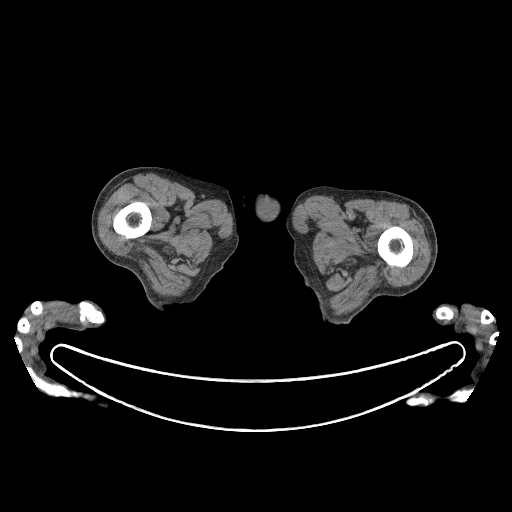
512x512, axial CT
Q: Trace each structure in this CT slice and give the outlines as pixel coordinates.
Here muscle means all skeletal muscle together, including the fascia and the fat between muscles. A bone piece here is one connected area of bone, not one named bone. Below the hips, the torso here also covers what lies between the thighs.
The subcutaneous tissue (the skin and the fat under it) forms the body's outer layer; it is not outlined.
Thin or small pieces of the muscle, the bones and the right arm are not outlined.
A: torso: (261, 191) (267, 192) (275, 196) (281, 202) (281, 211) (279, 215) (274, 220) (270, 222) (268, 222) (267, 223) (261, 222) (257, 219) (255, 215) (255, 213) (254, 212) (254, 208) (253, 207) (253, 199) (256, 193) (257, 192) (260, 192)
right leg: (138, 166) (169, 168) (221, 185) (229, 191) (234, 206) (239, 235) (235, 251) (222, 269) (211, 278) (204, 290) (192, 302) (169, 305) (167, 311) (160, 311) (149, 302) (140, 281) (131, 271) (112, 263) (101, 253) (91, 233) (90, 221) (93, 206) (103, 186) (117, 173)
muscle 1: (312, 195) (369, 198) (374, 200) (384, 199) (407, 204) (422, 220) (428, 232) (431, 255) (423, 274) (409, 285) (391, 286) (376, 290) (347, 313) (341, 315) (333, 314) (329, 309) (325, 293) (318, 286) (318, 272) (306, 242) (292, 224) (292, 215) (296, 206) (303, 199), around a hole outlined by (393, 225) (396, 225) (403, 228) (410, 235) (412, 239) (412, 243) (413, 244) (413, 254) (412, 255) (412, 258) (411, 260) (405, 266) (403, 267) (399, 267) (398, 266) (391, 266) (389, 265) (379, 255) (378, 251) (377, 250) (377, 241) (380, 234) (385, 229)
muscle 2: (148, 172) (152, 172) (178, 182) (201, 194) (224, 200) (232, 216) (232, 236) (228, 240) (224, 241) (217, 249) (204, 276) (184, 297) (162, 298) (157, 295) (138, 264) (127, 258) (117, 256) (109, 251) (102, 243) (98, 235) (98, 213) (109, 190) (127, 177) (138, 173); inner edge: (133, 201) (142, 201) (143, 202) (145, 202) (147, 204) (148, 207) (150, 209) (151, 216) (152, 217) (151, 219) (151, 225) (149, 228) (149, 230) (143, 235) (136, 237) (135, 238) (126, 238) (123, 235) (117, 233) (114, 230) (113, 228) (113, 218) (115, 214) (121, 208)
muscle 3: (52, 302) (62, 303) (68, 306) (77, 306) (78, 319) (81, 323) (58, 321) (44, 329) (35, 343) (31, 357) (31, 366) (25, 365) (21, 357) (23, 342) (18, 334) (27, 334) (30, 331) (31, 325) (26, 315) (29, 309) (33, 315) (38, 316) (43, 311) (42, 303)
muscle 4: (466, 307) (480, 310) (479, 321) (481, 324) (495, 323) (496, 329) (488, 338) (488, 343) (493, 345) (494, 348) (483, 370) (481, 369) (481, 363) (484, 351) (477, 348) (477, 338) (462, 325) (458, 318) (452, 319) (455, 316) (452, 308) (461, 316) (463, 309)
left leg: (315, 186) (386, 190) (416, 201) (431, 218) (437, 237) (437, 257) (435, 265) (427, 279) (416, 290) (403, 296) (377, 296) (347, 324) (336, 325) (323, 322) (318, 300) (314, 292) (304, 283) (302, 276) (293, 261) (293, 241) (285, 224) (287, 213) (296, 197) (301, 192)
bones 1: (393, 225) (396, 225) (403, 228) (410, 235) (412, 239) (412, 243) (413, 244) (413, 254) (412, 255) (412, 258) (411, 260) (405, 266) (403, 267) (399, 267) (398, 266) (391, 266) (389, 265) (379, 255) (378, 251) (377, 250) (377, 241) (380, 234) (385, 229)
bones 2: (133, 201) (142, 201) (143, 202) (145, 202) (147, 204) (148, 207) (150, 209) (151, 216) (152, 217) (151, 219) (151, 225) (149, 228) (149, 230) (143, 235) (136, 237) (135, 238) (126, 238) (123, 235) (117, 233) (114, 230) (113, 228) (113, 218) (115, 214) (121, 208)
bones 3: (26, 366) (30, 366) (40, 377) (46, 381) (50, 383) (57, 383) (58, 384) (60, 384) (64, 386) (70, 392) (72, 391) (74, 393) (76, 393) (77, 395) (72, 397) (62, 397) (61, 396) (52, 396) (51, 395) (49, 395) (44, 391) (42, 391) (34, 383)
bones 4: (81, 301) (85, 301) (86, 302) (89, 302) (93, 304) (102, 313) (102, 314) (104, 316) (104, 318) (105, 319) (104, 321) (101, 323) (92, 323) (90, 321) (86, 321) (84, 323) (82, 323) (79, 319) (79, 307) (78, 306) (78, 304) (79, 302)
bones 5: (441, 306) (449, 306) (452, 309) (452, 310) (453, 311) (453, 313) (454, 314) (454, 316) (453, 317) (453, 318) (452, 318) (449, 320) (447, 320) (446, 319) (438, 319) (436, 317) (436, 315) (435, 314) (435, 313) (436, 312) (436, 310) (437, 309) (437, 308) (438, 308)
bones 6: (473, 387) (473, 389) (472, 390) (472, 391) (471, 392) (471, 393) (468, 396) (468, 397) (464, 401) (454, 401) (453, 400) (452, 400) (451, 399) (450, 399) (450, 398) (449, 397) (454, 392) (455, 392) (457, 390) (460, 390) (461, 389) (469, 389) (470, 388) (472, 388)
bones 7: (23, 316) (25, 316) (27, 318) (27, 319) (28, 320) (28, 321) (29, 322) (29, 324) (30, 325) (30, 326) (29, 327) (29, 331) (27, 333) (21, 333) (20, 332) (19, 332) (18, 331) (18, 330) (17, 329) (17, 323) (18, 322) (18, 320) (21, 317) (22, 317)
bones 8: (484, 309) (486, 309) (487, 310) (488, 310) (492, 314) (492, 315) (494, 318) (494, 319) (493, 320) (493, 321) (492, 321) (490, 323) (488, 323) (487, 324) (483, 324) (482, 323) (481, 323) (481, 322) (480, 321) (480, 317) (481, 316) (481, 311)
bones 9: (419, 397) (423, 397) (424, 398) (428, 398) (429, 399) (432, 399) (433, 400) (433, 401) (430, 403) (428, 403) (427, 404) (425, 404) (424, 405) (410, 405) (407, 403) (407, 400) (408, 400) (409, 401) (411, 401) (412, 400) (413, 400) (416, 398) (418, 398)
bones 10: (34, 301) (39, 301) (40, 302) (41, 302) (41, 303) (42, 304) (42, 311) (41, 312) (41, 313) (40, 314) (39, 314) (38, 315) (35, 315) (34, 314) (33, 314) (32, 313) (32, 312) (31, 311) (31, 310) (30, 309) (30, 305)
right arm: (52, 299) (70, 302) (89, 299) (96, 302) (105, 313) (106, 324) (103, 328) (83, 331) (50, 329) (39, 345) (39, 353) (47, 367) (45, 373) (70, 392) (76, 393) (77, 395) (72, 397) (49, 395) (34, 383) (23, 363) (14, 337) (18, 320) (26, 306) (34, 301)
left arm 1: (442, 302) (457, 304) (469, 302) (483, 306) (495, 317) (497, 322) (498, 334) (495, 337) (490, 359) (464, 401) (454, 401) (449, 397) (464, 385) (472, 382) (470, 372) (478, 353) (474, 346) (474, 339) (470, 334) (455, 333) (450, 325) (440, 325) (433, 319) (432, 311)
left arm 2: (415, 393) (426, 393) (427, 394) (428, 393) (432, 393) (430, 394) (431, 395) (434, 395) (436, 396) (437, 398) (436, 399) (434, 399) (432, 402) (430, 403) (428, 403) (427, 404) (425, 404) (424, 405) (410, 405) (407, 403) (407, 400) (410, 396) (413, 395)